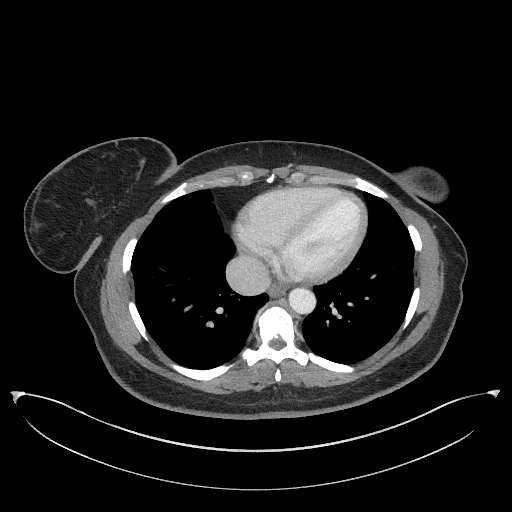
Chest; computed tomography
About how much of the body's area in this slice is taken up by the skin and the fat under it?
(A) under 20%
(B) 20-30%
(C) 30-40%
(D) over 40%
Answer: (C) 30-40%
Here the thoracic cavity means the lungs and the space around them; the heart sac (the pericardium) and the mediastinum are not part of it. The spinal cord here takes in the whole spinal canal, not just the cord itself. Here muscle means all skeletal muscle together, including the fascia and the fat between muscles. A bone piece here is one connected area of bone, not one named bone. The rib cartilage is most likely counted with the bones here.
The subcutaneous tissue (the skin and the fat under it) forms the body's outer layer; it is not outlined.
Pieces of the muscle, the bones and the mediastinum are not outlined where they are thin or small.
{"mediastinum":[[[301,332],[300,326],[304,318],[315,307],[316,298],[312,289],[313,287],[283,283],[276,279],[262,262],[248,257],[236,249],[234,256],[226,266],[226,280],[232,293],[238,293],[243,296],[266,293],[269,298],[268,305],[277,304],[284,307],[293,317]],[[232,239],[230,235],[230,225],[233,216],[237,210],[251,197],[274,186],[287,184],[278,184],[277,182],[274,182],[271,184],[268,184],[265,182],[258,182],[245,186],[236,185],[235,186],[216,187],[206,189],[213,196],[213,202],[221,217],[224,230]],[[362,199],[363,199],[363,198],[361,194],[362,192],[361,191],[359,191],[356,189],[354,189],[350,187],[346,187],[345,186],[341,186],[340,185],[332,185],[335,185],[336,186],[343,187],[346,189],[352,190],[357,193],[358,195],[362,198]]],"thoracic_cavity":[[[200,369],[226,363],[238,354],[249,337],[256,310],[268,298],[264,293],[254,297],[231,293],[225,280],[225,266],[233,256],[235,247],[224,232],[212,202],[212,196],[206,190],[179,197],[156,214],[137,243],[131,266],[135,302],[148,333],[173,361]],[[349,364],[366,358],[391,338],[403,321],[413,289],[414,251],[408,232],[395,211],[385,200],[365,192],[362,193],[368,208],[368,225],[365,237],[350,263],[337,276],[325,284],[314,287],[317,298],[316,307],[305,318],[301,326],[310,350],[328,359]]],"torso":[[[234,420],[355,407],[437,361],[467,269],[461,239],[430,205],[450,195],[439,171],[387,170],[337,146],[280,139],[220,145],[178,162],[162,142],[128,136],[81,149],[38,181],[23,209],[27,244],[48,269],[75,273],[76,304],[114,379],[152,406]]],"pericardium":[[[309,286],[317,285],[333,277],[334,275],[337,275],[349,263],[357,251],[364,237],[367,225],[367,208],[363,200],[354,192],[332,186],[331,184],[283,185],[274,187],[251,198],[238,210],[231,225],[231,235],[236,243],[237,250],[262,261],[279,280]]],"bones":[{"outer":[[347,373],[355,369],[353,365],[328,360],[296,344],[303,338],[284,308],[266,303],[257,310],[252,331],[257,333],[254,341],[258,346],[255,349],[245,346],[239,353],[249,366],[263,358],[278,364],[289,357],[303,366],[310,360],[329,370]],"hole":[[275,349],[280,349],[282,347],[283,347],[285,345],[285,343],[281,339],[281,338],[280,337],[278,337],[277,338],[276,338],[275,339],[272,339],[269,342],[269,345],[271,347],[272,347],[273,348],[274,348]]},[[384,199],[387,198],[388,196],[387,193],[385,191],[371,182],[359,176],[348,177],[347,178],[333,178],[327,176],[312,176],[309,178],[309,180],[313,183],[331,183],[332,184],[340,184],[341,185],[350,186],[359,190],[368,192],[373,195],[378,196]],[[164,205],[173,199],[187,193],[196,190],[199,190],[200,189],[205,189],[213,185],[217,185],[218,186],[229,185],[235,180],[234,178],[232,177],[222,177],[213,180],[200,180],[191,183],[188,183],[184,181],[171,190],[162,199],[161,203]],[[198,380],[209,380],[214,377],[216,377],[227,371],[233,365],[233,364],[232,363],[229,364],[222,364],[210,369],[200,370],[199,369],[192,369],[191,368],[184,367],[174,362],[170,362],[168,364],[171,368],[188,377],[194,379],[197,379]],[[402,328],[405,328],[407,326],[411,320],[413,316],[413,314],[417,307],[417,304],[419,300],[419,294],[420,293],[420,288],[419,286],[415,286],[414,287],[414,289],[411,295],[410,301],[409,302],[409,304],[405,314],[404,321],[401,325],[401,327]],[[123,273],[126,273],[130,270],[130,266],[131,265],[131,258],[132,257],[132,254],[133,253],[134,248],[136,245],[136,243],[138,240],[138,239],[134,236],[133,237],[131,237],[129,239],[124,248],[124,251],[123,252],[123,257],[122,258],[122,271]],[[145,340],[148,340],[148,336],[147,335],[147,332],[146,331],[145,326],[139,315],[139,313],[137,310],[137,308],[135,305],[134,301],[130,300],[128,303],[128,307],[129,308],[129,311],[130,312],[131,317],[138,331],[140,333],[142,337]],[[415,251],[420,251],[421,250],[421,248],[422,247],[422,242],[421,241],[421,238],[420,237],[420,235],[419,234],[419,232],[417,228],[412,223],[408,223],[406,225],[406,227],[409,232],[409,235],[413,243],[413,246],[414,247],[414,250]],[[241,185],[245,185],[246,184],[249,184],[251,182],[251,181],[253,179],[253,178],[254,177],[252,172],[251,172],[250,171],[243,171],[241,173],[240,173],[239,174],[239,175],[238,176],[239,177],[239,178],[241,180],[241,182],[240,183],[240,184]],[[296,183],[299,183],[300,182],[302,182],[303,181],[303,180],[305,177],[305,176],[303,173],[302,173],[301,172],[294,172],[293,173],[292,173],[290,175],[290,179],[291,180],[291,181],[292,181],[293,182],[295,182]]],"muscle":[{"outer":[[213,394],[259,392],[272,384],[296,388],[345,384],[374,373],[415,345],[430,328],[444,289],[444,262],[427,220],[386,191],[386,201],[405,225],[412,222],[418,228],[422,238],[423,247],[414,252],[413,266],[414,286],[421,288],[420,300],[408,326],[400,327],[385,345],[354,364],[352,373],[332,372],[310,361],[303,367],[289,358],[278,365],[263,359],[249,367],[238,355],[227,363],[234,365],[224,374],[198,381],[168,366],[172,361],[148,334],[148,341],[141,337],[127,307],[128,301],[134,300],[134,285],[131,271],[121,271],[123,248],[131,236],[140,237],[163,206],[160,201],[169,191],[160,196],[114,242],[101,280],[101,314],[114,345],[139,364],[175,382]],"hole":[[276,381],[279,381],[280,380],[280,379],[281,378],[281,375],[280,374],[280,372],[279,371],[279,369],[278,368],[277,368],[276,369],[276,371],[275,372],[275,379],[276,380]]},{"outer":[[230,185],[239,184],[240,180],[237,176],[243,170],[250,170],[253,172],[255,177],[252,182],[264,181],[264,179],[271,172],[274,172],[276,175],[275,181],[278,183],[288,184],[312,183],[308,180],[308,178],[312,175],[327,175],[333,177],[347,177],[356,175],[320,165],[290,164],[269,168],[256,167],[248,164],[235,164],[219,167],[186,180],[188,182],[191,182],[200,179],[213,179],[222,176],[232,176],[236,180]],"hole":[[296,183],[299,183],[300,182],[302,182],[303,181],[303,180],[305,177],[305,176],[303,173],[302,173],[301,172],[294,172],[293,173],[292,173],[290,175],[290,179],[291,180],[291,181],[292,181],[293,182],[295,182]]},[[255,348],[257,346],[257,344],[256,343],[255,343],[253,341],[253,338],[254,337],[254,335],[256,333],[255,332],[252,332],[250,335],[250,338],[249,339],[249,340],[247,342],[247,343],[246,344],[246,345],[250,345],[251,346],[252,346]]],"spinal_cord":[[[275,349],[280,349],[282,347],[283,347],[285,345],[285,343],[281,339],[281,338],[280,337],[278,337],[277,338],[276,338],[275,339],[272,339],[269,342],[269,345],[271,347],[272,347],[273,348],[274,348]]]}